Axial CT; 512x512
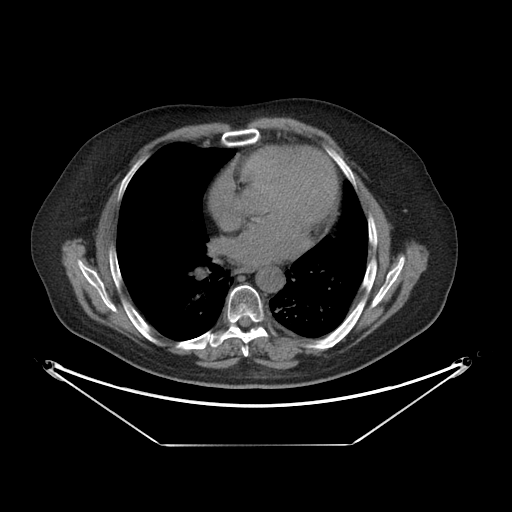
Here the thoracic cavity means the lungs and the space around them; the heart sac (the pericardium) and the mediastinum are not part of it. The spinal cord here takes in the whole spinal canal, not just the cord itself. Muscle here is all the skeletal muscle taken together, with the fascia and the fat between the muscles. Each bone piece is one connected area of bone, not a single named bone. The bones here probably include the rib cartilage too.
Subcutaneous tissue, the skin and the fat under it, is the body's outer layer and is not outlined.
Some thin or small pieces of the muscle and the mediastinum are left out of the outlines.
muscle 1: 272,116 290,117 325,131 363,170 367,176 362,179 364,184 392,225 392,255 403,251 406,242 412,239 427,248 426,269 405,303 347,350 285,369 247,358 226,368 204,367 185,355 150,351 89,317 78,302 61,261 64,241 82,238 86,241 87,255 93,257 95,231 115,185 111,182 139,149 186,125 224,122 235,129 224,131 219,141 167,143 149,157 138,158 120,180 116,238 115,245 108,248 108,264 116,290 120,292 124,285 132,301 120,299 127,317 155,345 162,344 153,334 155,330 176,341 174,347 182,350 202,350 207,345 215,348 229,338 238,338 246,358 252,340 267,338 269,331 276,334 268,317 286,330 312,339 303,345 309,349 332,348 350,332 366,305 378,268 374,255 367,261 368,247 375,251 378,245 375,219 370,212 365,215 354,173 333,148 324,144 322,149 294,133 262,135 256,127 244,127 255,118, around holes outlined by 78,259 81,260 81,261 86,266 94,270 97,273 98,276 100,278 104,285 104,287 107,293 108,298 115,306 117,310 115,312 110,308 109,308 104,303 97,290 86,279 86,278 82,273 77,263 77,260 and by 401,256 404,256 404,262 403,263 403,266 398,276 396,278 395,281 390,286 390,287 388,289 388,290 386,292 382,299 375,306 371,307 370,306 371,302 378,292 380,287 384,283 387,273 397,264
muscle 2: 361,290 363,290 364,291 364,293 363,294 362,297 357,302 357,303 354,306 354,307 352,309 351,309 351,308 352,307 352,305 353,304 353,303 354,302 354,301 356,298 356,296 357,295 358,292
bones 1: 240,284 248,284 257,291 275,334 269,330 267,337 259,336 252,339 247,344 246,357 241,350 244,343 238,337 229,337 215,347 209,344 202,349 175,347 178,341 192,339 213,328 226,308 229,291 with a hole at 244,316 247,316 251,320 251,321 252,322 252,324 251,325 251,326 250,326 249,327 248,327 247,328 242,328 238,324 238,321 239,320 239,319 240,318 241,318 242,317 243,317
bones 2: 373,256 375,257 377,262 375,277 371,289 367,296 365,305 353,327 344,337 332,347 326,349 305,347 304,345 309,342 310,340 323,338 336,329 363,297 365,291 363,289 360,290 359,289 366,271 367,263
bones 3: 244,128 256,128 259,131 261,135 261,137 255,143 247,144 246,145 241,145 240,146 235,146 234,147 226,147 222,145 220,143 220,138 222,134 224,132 226,131 230,131 231,130 235,130 236,129 243,129
bones 4: 122,298 127,300 131,304 132,304 132,305 136,309 136,310 144,319 144,320 153,328 154,330 152,334 160,342 161,344 160,345 155,344 148,340 134,326 134,325 128,317 123,307 123,305 121,301 121,299
bones 5: 78,259 81,260 81,261 86,266 94,270 97,273 98,276 100,278 104,285 104,287 107,293 108,298 115,306 117,310 115,312 110,308 109,308 104,303 97,290 86,279 86,278 82,273 77,263 77,260
bones 6: 401,256 404,256 404,262 403,263 403,266 398,276 396,278 395,281 390,286 390,287 388,289 388,290 386,292 382,299 375,306 371,307 370,306 371,302 378,292 380,287 384,283 387,273 397,264
bones 7: 324,145 326,145 330,148 333,149 349,166 353,173 353,175 356,182 356,185 357,186 357,192 356,192 352,184 344,175 344,174 342,172 340,168 336,164 334,160 332,159 332,158 326,152 323,146
bones 8: 113,244 115,246 116,254 117,255 117,261 119,266 119,270 120,271 121,277 123,281 123,284 121,286 120,291 118,291 116,288 115,283 113,280 113,278 111,274 110,265 109,264 109,248 110,246
bones 9: 144,156 148,156 147,159 134,173 130,179 129,182 127,184 127,186 123,193 123,195 120,201 120,203 118,202 117,201 117,196 118,195 118,191 120,187 121,180 124,177 130,168 135,163 135,162 138,159
bones 10: 370,213 372,215 374,219 374,222 375,223 375,226 376,227 376,232 377,233 377,245 376,246 376,248 375,250 374,250 373,248 370,245 369,245 369,242 368,241 368,223 367,222 367,216
mediastinum 1: 203,196 203,205 208,220 228,262 240,266 268,267 280,267 291,264 284,272 285,284 268,302 268,313 267,311 266,313 260,294 250,284 240,283 229,289 233,280 230,271 224,267 210,243 203,214
mediastinum 2: 271,133 275,133 278,135 280,135 281,134 294,134 295,135 300,136 303,138 305,138 308,140 306,140 298,136 287,136 286,137 275,137 274,138 265,139 264,140 261,140 256,143 262,137 262,136 265,136
mediastinum 3: 340,170 345,177 342,179 342,213 341,214 341,217 339,220 338,225 335,231 331,234 330,232 332,231 334,228 334,226 336,225 338,221 338,218 340,215 340,208 341,207 341,202 342,201 342,175 340,172
pericardium: 287,137 298,137 319,146 339,168 339,172 341,175 341,201 337,221 329,233 327,233 317,243 287,265 268,266 240,265 231,263 226,259 220,241 209,220 204,205 204,196 206,191 218,172 236,154 261,141
thoracic cavity 1: 173,142 235,149 234,155 213,175 202,196 202,214 209,243 223,267 229,271 232,280 228,286 225,308 213,327 192,338 177,341 157,331 134,306 124,284 116,249 120,205 128,184 148,158 161,147
thoracic cavity 2: 344,178 348,180 357,194 361,208 366,217 368,246 365,271 350,311 342,322 323,337 304,337 286,329 268,316 269,302 286,284 287,280 285,272 291,267 293,262 317,244 327,234 332,235 336,231 343,213
torso: 284,97 316,98 346,107 395,134 421,157 453,214 458,237 454,280 435,321 395,350 353,373 285,389 225,389 170,380 137,369 68,330 53,312 34,267 30,230 43,200 81,145 113,123 155,106 237,105
spinal cord: 244,316 247,316 251,320 251,321 252,322 252,324 251,325 251,326 250,326 249,327 248,327 247,328 242,328 238,324 238,321 239,320 239,319 240,318 241,318 242,317 243,317